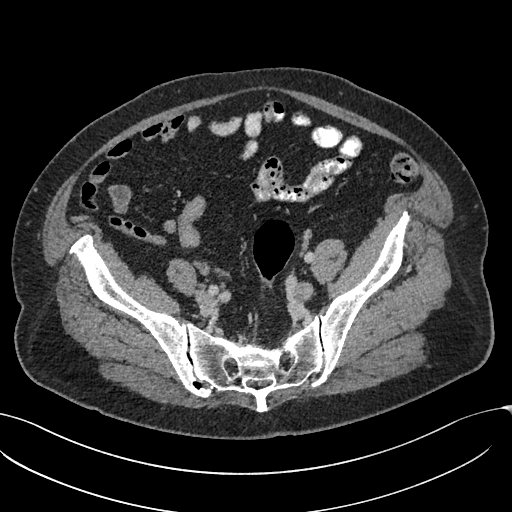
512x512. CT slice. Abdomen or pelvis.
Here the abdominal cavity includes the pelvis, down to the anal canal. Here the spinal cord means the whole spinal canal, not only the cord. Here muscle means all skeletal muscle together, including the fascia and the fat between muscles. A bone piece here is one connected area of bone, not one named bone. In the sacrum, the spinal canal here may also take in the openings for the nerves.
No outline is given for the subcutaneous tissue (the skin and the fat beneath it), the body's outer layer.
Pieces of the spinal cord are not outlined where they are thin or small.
{"spinal_cord":[[[286,351],[289,351],[294,356],[294,359],[293,360],[293,362],[292,363],[292,364],[289,367],[289,368],[287,370],[285,370],[280,365],[280,356],[282,354],[283,354]],[[228,358],[233,358],[236,361],[236,362],[237,363],[237,372],[233,376],[231,376],[229,374],[229,373],[227,371],[227,369],[226,368],[226,367],[224,365],[224,363],[226,361],[226,360]]],"bones":[{"outer":[[403,209],[411,218],[402,264],[360,308],[326,381],[271,391],[269,409],[262,412],[254,409],[250,393],[213,389],[203,398],[188,391],[150,332],[100,300],[86,282],[79,258],[68,252],[89,233],[117,283],[142,305],[238,346],[272,348],[366,276]],"holes":[[[286,351],[289,351],[294,356],[294,359],[293,360],[293,362],[292,363],[292,364],[289,367],[289,368],[287,370],[285,370],[280,365],[280,356],[282,354],[283,354]],[[228,358],[233,358],[236,361],[236,362],[237,363],[237,372],[233,376],[231,376],[229,374],[229,373],[227,371],[227,369],[226,368],[226,367],[224,365],[224,363],[226,361],[226,360]],[[268,379],[270,379],[272,381],[272,383],[270,385],[268,385],[267,384],[266,385],[265,385],[264,386],[262,386],[261,387],[254,387],[253,386],[252,386],[251,385],[250,386],[248,386],[246,384],[246,382],[248,380],[250,380],[251,381],[266,381]]]}],"abdominal_cavity":[{"outer":[[257,90],[289,94],[392,140],[417,159],[421,174],[415,191],[385,200],[346,267],[340,238],[313,247],[309,270],[326,286],[327,301],[272,347],[238,345],[185,319],[179,303],[156,280],[134,270],[96,223],[66,221],[79,176],[111,146],[182,110]],"hole":[[174,258],[181,258],[188,261],[191,264],[191,265],[193,266],[195,270],[196,278],[194,283],[194,287],[189,295],[186,295],[183,293],[181,293],[177,291],[172,287],[172,284],[169,281],[168,281],[168,278],[166,275],[166,270],[169,265],[169,262]]}],"torso":[[[275,66],[331,72],[406,107],[462,160],[481,195],[489,226],[484,278],[494,341],[485,363],[386,412],[321,431],[262,439],[160,431],[88,409],[35,383],[22,369],[15,351],[20,305],[10,259],[18,213],[44,166],[88,123],[156,84],[201,72]]],"muscle":[[[262,82],[313,94],[368,118],[403,138],[439,173],[455,213],[445,238],[451,285],[444,305],[418,327],[429,341],[423,365],[372,387],[290,399],[270,409],[271,392],[327,381],[361,308],[403,264],[412,218],[403,208],[365,276],[322,313],[327,286],[310,270],[314,247],[340,239],[346,268],[386,200],[416,191],[422,181],[419,161],[392,139],[274,89],[238,93],[158,119],[87,164],[69,194],[65,221],[96,224],[134,271],[178,303],[185,318],[180,322],[135,299],[118,283],[89,232],[67,252],[76,255],[100,301],[149,332],[188,392],[203,399],[213,390],[254,397],[253,409],[164,405],[105,379],[99,360],[65,332],[37,237],[58,187],[107,140],[183,102]],[[174,258],[181,258],[188,261],[191,264],[191,265],[193,266],[195,270],[196,278],[194,283],[194,287],[189,295],[186,295],[183,293],[181,293],[177,291],[172,287],[172,284],[169,281],[168,281],[168,278],[166,275],[166,270],[169,265],[169,262]]]}